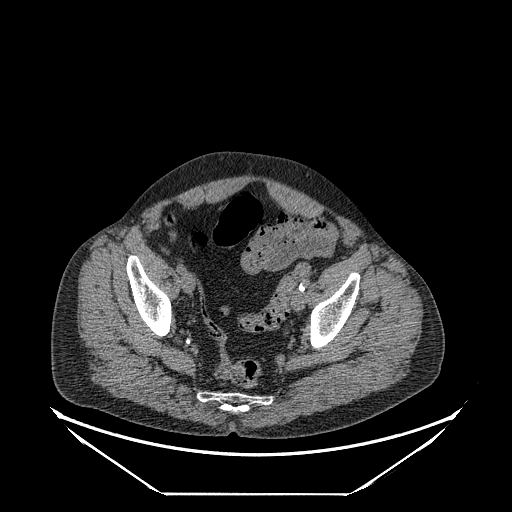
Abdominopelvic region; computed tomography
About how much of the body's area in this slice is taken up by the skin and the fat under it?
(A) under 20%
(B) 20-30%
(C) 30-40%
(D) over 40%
Answer: (B) 20-30%
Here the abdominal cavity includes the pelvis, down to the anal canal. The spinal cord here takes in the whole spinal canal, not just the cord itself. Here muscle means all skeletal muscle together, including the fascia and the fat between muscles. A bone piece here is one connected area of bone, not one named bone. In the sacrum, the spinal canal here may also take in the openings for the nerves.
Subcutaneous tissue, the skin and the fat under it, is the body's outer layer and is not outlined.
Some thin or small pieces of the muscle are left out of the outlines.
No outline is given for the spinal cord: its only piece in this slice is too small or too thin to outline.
Outlined structures:
torso: (223, 150) (278, 155) (315, 168) (340, 187) (415, 268) (432, 292) (445, 334) (440, 373) (432, 384) (351, 426) (283, 439) (241, 437) (235, 432) (201, 436) (165, 431) (76, 405) (59, 394) (51, 375) (51, 321) (59, 282) (74, 251) (120, 218) (160, 177) (194, 157)
bones 1: (351, 272) (357, 272) (360, 275) (359, 291) (356, 297) (355, 303) (352, 308) (352, 310) (346, 321) (332, 340) (320, 348) (313, 348) (309, 339) (310, 337) (309, 334) (310, 333) (310, 313) (311, 310) (317, 303) (328, 298) (332, 295) (346, 280) (348, 275)
bones 2: (129, 255) (135, 255) (138, 257) (143, 267) (143, 269) (149, 279) (167, 294) (171, 302) (171, 309) (172, 311) (171, 312) (170, 329) (167, 334) (164, 336) (159, 336) (154, 333) (144, 322) (138, 312) (132, 296) (132, 292) (131, 291) (128, 276) (126, 272) (126, 261)
bones 3: (199, 390) (222, 392) (242, 392) (250, 395) (269, 395) (270, 394) (274, 396) (274, 399) (270, 404) (254, 403) (250, 406) (250, 408) (247, 411) (233, 413) (230, 411) (220, 409) (219, 408) (220, 403) (216, 400) (209, 400) (205, 402) (198, 400) (196, 397) (196, 393)
abdominal cavity: (255, 182) (263, 184) (280, 207) (335, 218) (343, 229) (343, 243) (353, 250) (324, 268) (309, 285) (310, 312) (299, 346) (283, 358) (269, 393) (209, 390) (199, 385) (200, 364) (181, 347) (176, 333) (172, 303) (179, 292) (178, 275) (146, 240) (166, 205) (213, 204)
muscle: (243, 174) (266, 176) (302, 191) (349, 218) (405, 266) (421, 298) (423, 316) (409, 372) (398, 383) (372, 396) (283, 424) (251, 428) (242, 426) (234, 415) (215, 426) (180, 419) (114, 397) (89, 379) (77, 329) (77, 285) (94, 241) (134, 220) (158, 200) (211, 180); inner edge: (255, 182) (280, 207) (335, 218) (343, 243) (353, 249) (309, 285) (311, 310) (351, 272) (360, 281) (352, 310) (333, 339) (313, 348) (308, 317) (296, 351) (279, 365) (269, 393) (273, 401) (233, 413) (220, 409) (216, 400) (197, 399) (197, 391) (205, 389) (198, 383) (200, 364) (181, 347) (174, 311) (167, 334) (150, 329) (134, 302) (126, 261) (137, 256) (172, 303) (179, 292) (178, 275) (146, 241) (162, 209) (173, 202) (185, 208) (213, 204)